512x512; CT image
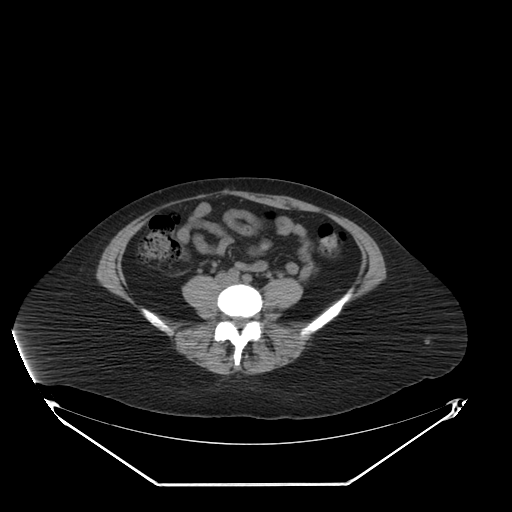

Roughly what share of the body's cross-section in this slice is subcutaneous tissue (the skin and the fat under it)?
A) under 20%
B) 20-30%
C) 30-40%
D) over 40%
D) over 40%
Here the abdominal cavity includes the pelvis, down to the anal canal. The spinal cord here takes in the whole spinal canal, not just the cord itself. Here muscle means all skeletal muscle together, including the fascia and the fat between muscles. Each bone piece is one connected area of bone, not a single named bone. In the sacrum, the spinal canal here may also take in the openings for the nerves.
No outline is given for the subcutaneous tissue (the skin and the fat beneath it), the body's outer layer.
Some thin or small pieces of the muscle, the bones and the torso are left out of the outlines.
The bones appear in 3 outlined pieces: piece 1: 238,283 251,285 261,294 263,302 258,314 258,320 262,332 258,340 250,340 245,345 240,363 235,365 233,358 234,346 227,339 223,341 215,340 214,332 218,322 224,319 224,315 216,303 217,296 227,286 with a hole at 231,317 232,317 233,318 235,318 236,317 241,317 242,318 249,318 250,319 250,320 249,321 248,321 244,325 244,326 241,329 241,330 240,331 238,331 237,330 237,329 232,324 232,323 230,320 230,318; piece 2: 352,286 354,288 352,295 349,300 344,304 338,315 334,317 321,328 316,330 314,332 310,334 307,334 304,336 301,336 300,332 302,328 306,326 312,320 317,317 323,311 341,297 342,295 343,295 344,293; piece 3: 141,307 145,307 146,308 147,308 149,310 150,310 152,312 153,312 160,319 161,319 172,330 173,333 171,335 169,335 164,331 161,331 157,327 156,327 155,326 152,325 143,316 143,315 140,310 140,308. The torso is outlined by 227,176 271,177 311,185 351,202 373,217 436,274 458,299 468,331 467,348 461,362 442,376 425,378 375,403 310,419 170,415 132,407 70,386 36,382 12,327 18,308 32,285 82,236 125,204 176,183. The spinal cord is outlined by 231,317 232,317 233,318 235,318 236,317 241,317 242,318 249,318 250,319 250,320 249,321 248,321 244,325 244,326 241,329 241,330 240,331 238,331 237,330 237,329 232,324 232,323 230,320 230,318. The abdominal cavity is outlined by 220,195 333,220 349,232 361,254 351,286 322,311 301,320 279,319 304,292 292,277 270,279 259,290 243,282 223,287 210,275 194,275 180,289 203,319 199,321 144,306 130,291 122,269 130,239 165,208. The muscle appears in 2 outlined pieces: piece 1: 198,275 212,277 223,288 215,303 223,319 215,325 213,339 231,343 235,366 240,365 246,345 262,336 259,314 264,301 260,290 273,279 292,278 303,289 299,300 280,315 280,321 307,320 319,314 299,332 304,337 317,331 311,343 293,362 256,374 224,375 189,361 174,349 162,332 171,336 173,330 154,312 176,320 202,321 181,289; piece 2: 225,188 290,196 351,220 366,231 379,247 386,267 385,279 375,288 352,301 339,315 353,295 355,288 352,284 357,277 362,261 361,251 349,231 330,217 319,212 301,209 283,209 233,194 213,195 183,201 159,210 150,216 127,242 121,258 121,269 129,291 143,306 139,308 142,316 126,301 99,284 95,275 105,247 119,230 156,206 183,197.